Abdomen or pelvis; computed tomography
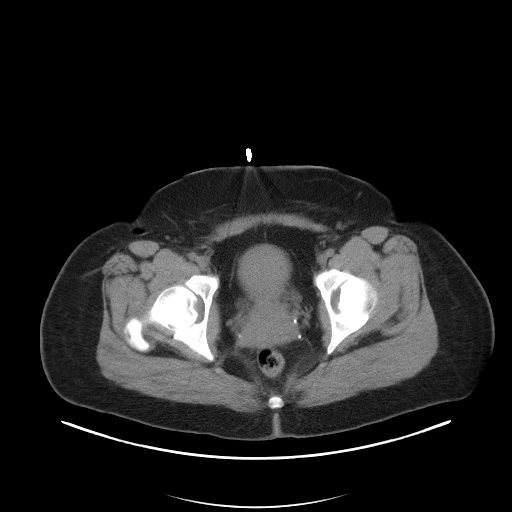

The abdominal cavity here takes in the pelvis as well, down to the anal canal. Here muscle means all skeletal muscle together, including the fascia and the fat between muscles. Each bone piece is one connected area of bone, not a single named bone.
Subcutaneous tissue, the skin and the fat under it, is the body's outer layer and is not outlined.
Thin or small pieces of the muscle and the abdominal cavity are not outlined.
{"bones":[[[194,274],[216,274],[219,277],[219,286],[212,296],[206,326],[206,338],[214,360],[209,361],[180,340],[174,339],[170,330],[155,323],[142,327],[148,349],[139,351],[132,347],[123,331],[127,321],[132,317],[142,318],[162,290],[173,284],[182,284]],[[331,268],[335,268],[342,271],[345,270],[367,280],[375,290],[377,300],[367,321],[360,328],[352,332],[344,338],[330,354],[327,354],[326,353],[326,348],[331,337],[330,320],[325,306],[325,303],[321,297],[320,291],[313,283],[313,275],[317,272]],[[273,395],[277,395],[278,396],[279,396],[280,397],[281,397],[281,398],[283,400],[283,402],[284,403],[284,404],[283,405],[283,406],[282,407],[280,407],[279,408],[273,408],[272,409],[271,408],[270,408],[268,406],[268,399],[271,396],[272,396]]],"muscle":[{"outer":[[264,212],[299,214],[342,235],[381,225],[413,240],[438,331],[438,349],[429,364],[397,384],[325,405],[284,405],[273,394],[267,399],[269,408],[253,413],[153,397],[104,377],[96,346],[103,310],[100,267],[105,261],[138,239],[188,248],[220,223]],"hole":[[261,224],[317,237],[318,272],[345,270],[371,284],[377,300],[360,328],[327,354],[331,326],[318,290],[321,347],[279,387],[226,347],[217,289],[206,326],[213,361],[155,323],[142,327],[147,350],[127,342],[130,318],[166,287],[216,274],[214,245]]}],"torso":[[[276,164],[328,166],[363,179],[391,199],[401,219],[431,224],[456,248],[483,286],[495,326],[493,349],[469,395],[352,430],[270,440],[158,428],[61,398],[42,368],[39,325],[51,285],[74,247],[104,225],[132,220],[156,190],[187,173],[216,166]]],"abdominal_cavity":[[[261,224],[294,227],[317,237],[314,264],[318,270],[312,275],[312,283],[318,290],[317,318],[322,331],[321,347],[312,348],[302,355],[279,387],[264,382],[252,362],[236,347],[226,347],[221,335],[218,303],[220,277],[212,267],[211,260],[216,243]]]}